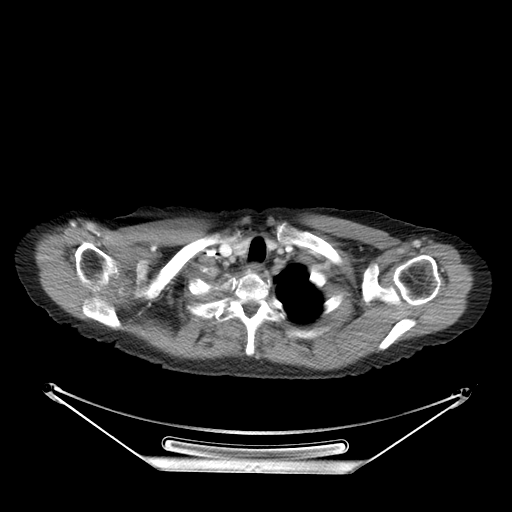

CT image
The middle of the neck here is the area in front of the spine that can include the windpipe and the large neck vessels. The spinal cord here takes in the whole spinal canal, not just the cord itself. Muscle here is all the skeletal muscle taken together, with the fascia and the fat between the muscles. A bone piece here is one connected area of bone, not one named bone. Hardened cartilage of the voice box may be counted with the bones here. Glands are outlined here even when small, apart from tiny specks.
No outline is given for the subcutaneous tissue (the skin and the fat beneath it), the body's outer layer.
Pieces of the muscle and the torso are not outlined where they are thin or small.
{"middle_of_the_neck":[[[257,233],[267,237],[269,252],[277,243],[290,246],[287,260],[306,268],[309,282],[323,298],[321,312],[311,321],[300,323],[288,317],[270,276],[263,278],[250,269],[243,274],[224,263],[219,253],[222,246],[230,246],[242,258],[248,251],[248,236]]],"thyroid_glands":[[[246,237],[249,237],[249,243],[248,244],[248,247],[247,248],[247,251],[246,252],[245,255],[242,257],[241,256],[239,256],[238,255],[237,255],[235,253],[235,252],[232,249],[232,245],[234,243],[237,243],[238,242],[241,241],[244,238],[245,238]],[[267,238],[269,238],[270,239],[271,239],[272,240],[273,240],[276,243],[276,247],[273,250],[272,250],[271,251],[269,251],[268,250],[268,248],[267,247],[267,244],[266,243],[266,239]]],"left_arm":[[[409,222],[417,225],[433,227],[458,235],[464,240],[469,242],[487,260],[492,272],[493,289],[489,304],[485,312],[479,321],[472,328],[464,331],[451,341],[442,335],[429,323],[409,301],[398,283],[396,265],[402,241],[404,238],[404,233]]],"torso":[[[176,204],[209,209],[260,209],[275,205],[369,209],[408,222],[395,265],[397,283],[408,301],[449,341],[425,346],[410,358],[402,358],[357,376],[262,379],[196,375],[163,369],[111,344],[78,334],[65,322],[122,266],[130,246],[126,214],[142,205]]],"bones":[{"outer":[[247,270],[263,279],[271,278],[271,290],[287,315],[280,322],[265,320],[257,328],[251,356],[245,353],[246,327],[237,317],[217,321],[186,308],[187,304],[211,301],[228,293],[214,290],[204,296],[195,295],[188,288],[190,279],[221,284]],"hole":[[248,301],[254,301],[256,303],[257,303],[258,304],[258,307],[257,308],[257,309],[256,310],[256,311],[254,313],[253,313],[251,315],[250,315],[249,316],[248,315],[247,315],[247,314],[245,312],[245,310],[244,309],[244,307],[243,306],[243,305]]},[[421,254],[427,254],[436,261],[441,280],[438,292],[432,299],[417,305],[411,305],[403,299],[401,304],[386,303],[379,299],[373,299],[368,304],[364,301],[361,289],[363,273],[371,263],[378,265],[378,283],[382,287],[394,286],[392,278],[395,269]],[[83,241],[93,243],[117,262],[119,274],[116,277],[110,278],[106,288],[105,296],[115,309],[122,326],[120,329],[113,329],[92,318],[87,317],[82,312],[84,300],[86,298],[89,298],[93,294],[88,288],[81,283],[76,272],[74,253],[76,248]],[[237,230],[239,232],[239,236],[236,239],[227,241],[221,245],[220,243],[212,244],[205,250],[199,251],[193,255],[157,296],[151,299],[134,297],[135,290],[146,286],[150,280],[158,273],[159,270],[183,246],[198,238],[215,232],[225,236],[231,235]],[[284,221],[287,222],[290,226],[293,226],[301,230],[307,230],[328,242],[336,250],[337,253],[342,259],[342,263],[341,264],[336,264],[325,256],[317,252],[314,252],[310,248],[303,246],[299,246],[293,243],[285,243],[279,241],[277,238],[277,226]],[[404,318],[412,318],[416,321],[416,323],[412,327],[411,327],[408,330],[404,332],[386,349],[382,351],[380,351],[378,350],[378,345],[383,339],[383,338],[388,333],[388,332],[391,329],[393,325],[399,320],[401,319],[403,319]],[[320,327],[327,327],[328,328],[327,330],[324,331],[321,334],[312,338],[300,338],[299,337],[295,337],[294,336],[289,337],[287,335],[287,333],[286,332],[288,330],[290,330],[291,329],[302,329],[303,330],[310,330],[314,328],[319,328]],[[338,293],[342,293],[343,294],[343,298],[340,304],[335,309],[332,310],[330,312],[328,313],[326,313],[325,314],[323,314],[322,313],[322,311],[323,310],[323,302],[324,300]],[[313,266],[314,266],[314,267],[315,268],[316,268],[319,271],[322,272],[326,276],[326,281],[325,282],[325,283],[322,286],[322,287],[320,289],[317,288],[311,282],[310,282],[310,281],[309,280],[309,272],[310,271],[311,268]],[[142,259],[143,260],[146,260],[146,261],[147,262],[147,265],[148,266],[148,270],[147,271],[146,280],[141,281],[139,284],[137,284],[137,283],[136,282],[136,280],[137,279],[137,277],[136,276],[136,265],[137,264],[137,263],[140,260],[141,260]]],"muscle":[{"outer":[[305,212],[348,219],[403,241],[427,236],[450,244],[474,272],[468,306],[456,322],[392,344],[417,323],[401,318],[377,345],[379,352],[339,369],[251,357],[169,356],[115,330],[123,326],[106,296],[111,278],[120,274],[112,256],[87,240],[73,253],[76,276],[92,294],[83,300],[81,312],[110,329],[72,316],[52,300],[41,287],[33,255],[41,233],[77,217],[114,230],[182,216],[227,223],[245,215],[291,218]],"holes":[[[257,233],[284,248],[290,246],[288,261],[303,265],[308,272],[313,266],[322,272],[326,281],[319,291],[324,300],[338,293],[343,298],[335,309],[305,323],[287,316],[280,322],[265,320],[255,332],[254,353],[248,356],[246,327],[237,317],[224,321],[203,318],[191,313],[186,305],[228,293],[214,290],[198,296],[191,293],[188,282],[198,277],[214,285],[232,276],[239,278],[242,272],[227,267],[220,248],[231,247]],[[421,254],[427,254],[436,261],[441,280],[438,292],[432,299],[417,305],[411,305],[403,299],[401,304],[386,303],[379,299],[373,299],[368,304],[364,301],[361,289],[363,273],[371,263],[378,265],[378,283],[382,287],[394,286],[392,278],[395,269]],[[237,230],[239,232],[239,236],[236,239],[227,241],[221,245],[220,243],[212,244],[205,250],[199,251],[193,255],[157,296],[151,299],[134,297],[135,290],[146,286],[150,280],[158,273],[159,270],[183,246],[198,238],[215,232],[225,236],[231,235]],[[284,221],[287,222],[290,226],[293,226],[301,230],[307,230],[328,242],[336,250],[337,253],[342,259],[342,263],[341,264],[336,264],[325,256],[317,252],[314,252],[310,248],[303,246],[299,246],[293,243],[285,243],[279,241],[277,238],[277,226]],[[320,327],[327,327],[328,328],[327,330],[324,331],[321,334],[312,338],[300,338],[299,337],[295,337],[294,336],[289,337],[287,335],[287,333],[286,332],[288,330],[290,330],[291,329],[302,329],[303,330],[310,330],[314,328],[319,328]],[[142,259],[143,260],[146,260],[146,261],[147,262],[147,265],[148,266],[148,270],[147,271],[146,280],[141,281],[139,284],[137,284],[137,283],[136,282],[136,280],[137,279],[137,277],[136,276],[136,265],[137,264],[137,263],[140,260],[141,260]]]}],"spinal_cord":[[[248,301],[254,301],[256,303],[257,303],[258,304],[258,307],[257,308],[257,309],[256,310],[256,311],[254,313],[253,313],[251,315],[250,315],[249,316],[248,315],[247,315],[247,314],[245,312],[245,310],[244,309],[244,307],[243,306],[243,305]]],"right_arm":[[[75,207],[85,208],[95,215],[106,218],[125,214],[129,228],[129,246],[122,264],[116,273],[106,283],[90,295],[63,324],[58,324],[44,309],[37,306],[27,295],[24,287],[18,279],[14,267],[13,251],[18,239],[31,225],[54,216],[64,210]]]}